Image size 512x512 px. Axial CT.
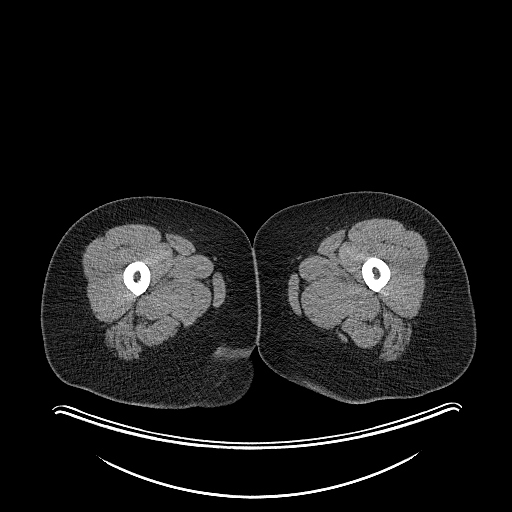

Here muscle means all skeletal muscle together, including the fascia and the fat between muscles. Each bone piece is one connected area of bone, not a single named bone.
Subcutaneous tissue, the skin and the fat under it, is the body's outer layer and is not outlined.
The muscle appears in 2 outlined pieces: piece 1: 375,217 395,219 417,231 425,239 429,252 424,270 423,300 419,313 414,318 415,324 408,350 390,365 372,364 344,349 340,343 328,338 312,324 298,318 292,312 287,299 289,275 323,238 345,225; inner edge: 371,256 374,256 383,260 388,265 389,269 390,270 390,277 387,283 381,289 381,291 379,292 376,292 368,287 368,286 364,281 363,277 362,276 362,274 361,273 361,268 362,267 363,263 368,257 370,257; piece 2: 126,223 149,224 191,240 214,263 226,285 225,301 216,313 200,318 184,335 135,362 118,361 110,356 104,344 100,323 90,308 86,295 87,281 82,267 82,254 88,243 99,234 103,234 105,230; inner edge: 136,260 140,260 141,261 143,261 147,265 150,271 150,281 149,282 149,285 145,291 138,296 135,296 134,294 131,291 130,291 128,288 126,287 124,284 124,282 123,281 123,277 122,276 124,268 129,263. The left leg is outlined by 361,190 391,193 410,199 429,210 451,236 465,266 477,328 473,358 464,373 453,383 421,396 380,399 366,403 338,401 278,375 259,355 257,348 260,324 259,289 253,251 257,230 270,216 287,206 333,194. The bones appear in 2 outlined pieces: piece 1: 371,256 374,256 383,260 388,265 389,269 390,270 390,277 387,283 381,289 381,291 379,292 376,292 368,287 368,286 364,281 363,277 362,276 362,274 361,273 361,268 362,267 363,263 368,257 370,257; piece 2: 136,260 140,260 141,261 143,261 147,265 150,271 150,281 149,282 149,285 145,291 138,296 135,296 134,294 131,291 130,291 128,288 126,287 124,284 124,282 123,281 123,277 122,276 124,268 129,263. The right leg is outlined by 149,195 178,198 215,209 234,220 252,243 259,323 256,347 251,354 255,373 248,391 232,404 213,408 162,409 122,403 64,383 55,375 46,359 40,326 41,296 47,267 59,240 78,218 93,208 120,198.